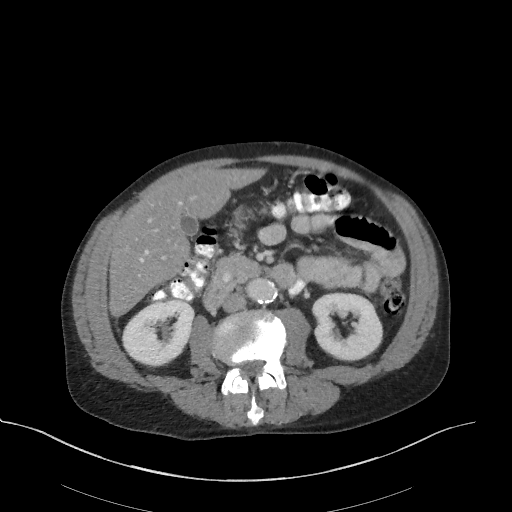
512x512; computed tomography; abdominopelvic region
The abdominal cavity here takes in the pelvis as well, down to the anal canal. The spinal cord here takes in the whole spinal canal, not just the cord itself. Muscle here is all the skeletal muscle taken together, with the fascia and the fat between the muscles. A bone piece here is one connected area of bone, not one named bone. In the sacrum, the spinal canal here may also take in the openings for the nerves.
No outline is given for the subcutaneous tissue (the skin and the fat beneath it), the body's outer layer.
The bones are outlined by 263 308; 279 317; 285 327; 286 344; 280 361; 284 366; 286 386; 283 389; 255 388; 256 403; 262 408; 263 416; 257 425; 253 425; 247 416; 251 388; 247 393; 224 395; 221 384; 229 366; 214 357; 212 351; 215 328; 224 318 with a hole at 253 360; 262 360; 264 361; 264 364; 262 366; 261 371; 259 373; 257 373; 253 377; 251 377; 247 375; 245 375; 243 376; 241 374; 241 370; 238 366; 238 365; 242 362; 244 362; 245 361; 252 361. The torso is outlined by 260 140; 299 141; 339 152; 389 179; 418 204; 438 237; 449 275; 450 362; 442 382; 427 398; 395 415; 355 429; 327 434; 262 433; 182 440; 122 429; 83 411; 67 388; 60 303; 68 267; 90 223; 136 178; 174 155; 209 145. The abdominal cavity is outlined by 243 162; 334 172; 367 187; 394 217; 409 252; 409 295; 401 324; 375 363; 315 367; 306 352; 310 323; 294 306; 273 312; 245 309; 215 326; 196 315; 189 339; 189 377; 143 375; 122 351; 107 303; 116 226; 168 180; 198 168. The muscle is outlined by 274 154; 293 154; 294 155; 315 157; 328 160; 345 166; 357 172; 366 179; 376 184; 381 188; 391 190; 401 195; 414 208; 432 241; 436 253; 438 275; 439 276; 438 300; 437 301; 436 314; 434 322; 430 329; 429 334; 417 353; 403 366; 390 371; 381 377; 373 378; 359 385; 354 385; 344 393; 331 407; 322 413; 317 414; 313 417; 298 421; 295 423; 285 424; 280 427; 275 427; 271 424; 265 423; 261 425; 252 426; 247 428; 234 429; 233 428; 224 428; 217 423; 208 422; 204 420; 198 420; 179 410; 171 404; 165 398; 163 394; 159 391; 142 391; 138 390; 135 388; 130 387; 124 382; 108 378; 95 370; 90 363; 90 358; 87 354; 84 346; 80 341; 77 333; 73 317; 73 311; 71 303; 71 292; 72 291; 74 275; 76 271; 76 267; 79 258; 82 253; 84 246; 90 237; 95 226; 101 218; 125 203; 136 193; 159 176; 184 164; 211 158; 221 158; 222 157; 245 158; 246 157; 254 157; 262 155; 273 155 with a hole at 243 162; 331 171; 367 187; 397 222; 410 259; 409 295; 403 319; 375 363; 315 367; 306 352; 311 326; 303 312; 294 306; 273 311; 286 332; 280 357; 286 386; 255 388; 256 403; 263 410; 257 425; 247 416; 251 406; 250 387; 247 393; 221 392; 229 366; 212 355; 216 327; 204 315; 196 315; 193 321; 189 377; 143 375; 116 340; 107 303; 112 234; 138 201; 168 180; 198 168. The spinal cord is outlined by 253 360; 262 360; 264 361; 264 364; 262 366; 261 371; 259 373; 257 373; 253 377; 251 377; 247 375; 245 375; 243 376; 241 374; 241 370; 238 366; 238 365; 242 362; 244 362; 245 361; 252 361.